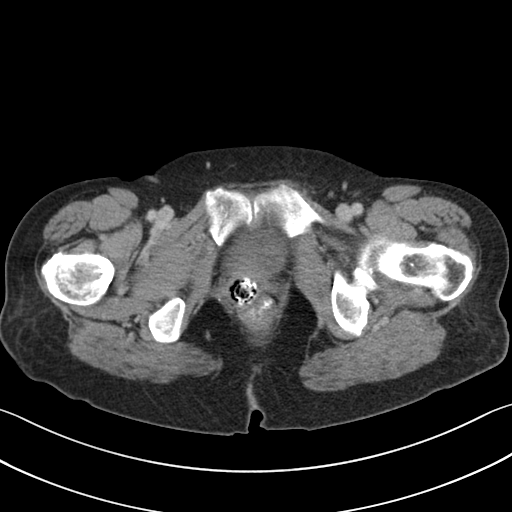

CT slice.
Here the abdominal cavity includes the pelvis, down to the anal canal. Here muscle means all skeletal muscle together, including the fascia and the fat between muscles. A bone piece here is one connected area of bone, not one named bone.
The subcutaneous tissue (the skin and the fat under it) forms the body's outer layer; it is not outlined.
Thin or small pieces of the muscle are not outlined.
The bones appear in 4 outlined pieces: piece 1: (376, 235) (416, 247) (435, 242) (458, 250) (470, 257) (472, 276) (459, 295) (442, 301) (425, 286) (394, 280) (375, 271) (378, 287) (366, 295) (370, 303) (367, 323) (361, 335) (355, 336) (344, 331) (334, 318) (330, 299) (333, 275) (339, 270) (351, 282) (360, 248); piece 2: (281, 184) (296, 189) (324, 219) (323, 223) (313, 222) (308, 232) (288, 237) (276, 223) (262, 222) (250, 226) (242, 222) (221, 246) (219, 247) (216, 244) (208, 231) (209, 217) (204, 205) (207, 190) (221, 187) (226, 190) (239, 191) (252, 198) (259, 192) (275, 188); piece 3: (58, 251) (62, 251) (65, 253) (82, 253) (85, 251) (92, 253) (99, 253) (110, 260) (115, 269) (114, 275) (111, 282) (109, 284) (106, 293) (100, 300) (89, 305) (76, 305) (64, 302) (56, 298) (50, 293) (46, 286) (46, 282) (41, 273) (41, 267) (54, 253); piece 4: (174, 296) (178, 296) (180, 297) (185, 302) (185, 310) (184, 311) (184, 314) (182, 319) (182, 323) (181, 324) (181, 334) (179, 338) (173, 342) (170, 342) (169, 343) (158, 342) (153, 338) (152, 334) (149, 329) (148, 326) (148, 317) (152, 312) (158, 309) (166, 301). The muscle is outlined by (276, 179) (305, 182) (350, 224) (396, 184) (421, 186) (469, 214) (482, 265) (444, 316) (446, 345) (435, 360) (343, 390) (305, 388) (298, 369) (317, 317) (295, 287) (261, 350) (215, 300) (202, 304) (181, 339) (220, 356) (217, 373) (152, 383) (71, 354) (61, 312) (34, 275) (44, 226) (67, 200) (126, 188) (160, 227) (205, 191) (207, 231) (218, 247) (211, 283) (264, 338) (291, 270) (290, 238) (325, 219) (285, 183) (252, 197) (207, 189), around holes outlined by (376, 235) (416, 247) (435, 242) (458, 250) (470, 257) (472, 276) (459, 295) (442, 301) (425, 286) (394, 280) (375, 271) (378, 287) (366, 295) (370, 303) (367, 323) (361, 335) (355, 336) (344, 331) (334, 318) (330, 299) (333, 275) (339, 270) (351, 282) (360, 248) and by (58, 251) (62, 251) (65, 253) (82, 253) (85, 251) (92, 253) (99, 253) (110, 260) (115, 269) (114, 275) (111, 282) (109, 284) (106, 293) (100, 300) (89, 305) (76, 305) (64, 302) (56, 298) (50, 293) (46, 286) (46, 282) (41, 273) (41, 267) (54, 253) and by (174, 296) (178, 296) (180, 297) (185, 302) (185, 310) (184, 311) (184, 314) (182, 319) (182, 323) (181, 324) (181, 334) (179, 338) (173, 342) (170, 342) (169, 343) (158, 342) (153, 338) (152, 334) (149, 329) (148, 326) (148, 317) (152, 312) (158, 309) (166, 301). The abdominal cavity is outlined by (242, 223) (249, 225) (250, 227) (258, 226) (262, 223) (276, 224) (281, 228) (290, 240) (290, 270) (283, 288) (279, 305) (275, 313) (274, 323) (269, 332) (264, 337) (255, 332) (241, 319) (212, 283) (212, 278) (215, 274) (214, 266) (216, 262) (218, 250) (234, 230). The torso is outlined by (258, 144) (328, 151) (385, 176) (449, 183) (485, 202) (509, 250) (499, 299) (509, 344) (498, 365) (405, 406) (313, 430) (267, 430) (255, 410) (248, 432) (232, 435) (126, 418) (21, 371) (0, 343) (4, 263) (15, 227) (38, 199) (84, 179) (150, 174) (189, 151).